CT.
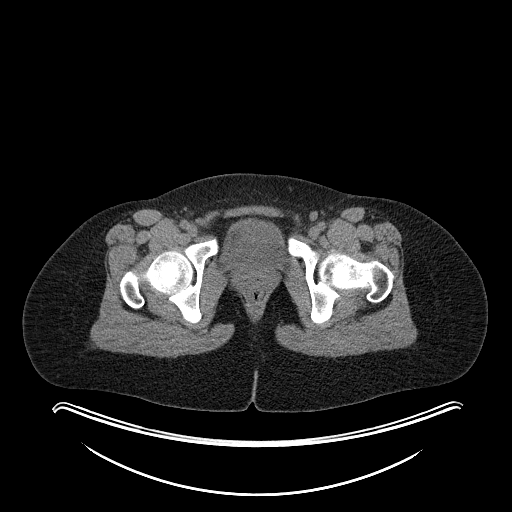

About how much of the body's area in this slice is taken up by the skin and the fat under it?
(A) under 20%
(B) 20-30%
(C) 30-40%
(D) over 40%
Answer: (D) over 40%
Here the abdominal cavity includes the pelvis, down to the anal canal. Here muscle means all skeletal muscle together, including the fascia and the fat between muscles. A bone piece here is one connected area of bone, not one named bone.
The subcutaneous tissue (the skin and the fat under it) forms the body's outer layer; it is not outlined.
Outlined structures:
bones 1: 289,236 316,250 320,260 332,250 345,253 360,262 378,260 394,276 390,292 383,300 373,303 367,300 365,288 341,289 329,319 319,324 313,322 310,317 311,296 305,279 305,263 300,257 292,256 288,252
bones 2: 213,237 217,238 219,248 204,263 199,291 202,316 198,322 185,320 167,294 152,288 145,281 140,283 145,301 141,307 133,308 124,301 119,283 127,271 132,270 140,275 163,251 182,252 192,243
abdominal cavity: 245,215 285,218 291,222 290,231 286,238 286,249 289,254 286,257 279,277 276,282 268,289 261,301 258,314 253,313 245,296 227,278 218,263 216,255 220,248 219,241 216,234 211,230 218,219 227,219
muscle: 250,204 270,205 284,210 292,210 300,214 305,226 308,223 320,220 352,206 371,207 379,210 398,229 402,237 404,253 403,282 411,318 418,332 415,342 405,348 372,351 335,358 310,356 290,350 276,341 274,332 278,324 299,323 296,305 282,282 272,292 266,303 263,316 256,323 252,323 245,315 245,310 241,303 227,286 218,300 213,322 232,323 235,330 226,343 206,353 183,355 176,358 159,358 141,354 112,352 98,348 93,349 90,346 89,332 92,324 98,317 106,282 103,238 108,227 116,219 144,205 151,205 173,212 190,220 210,210; inner edge: 245,215 289,220 288,235 316,250 320,260 332,250 360,262 378,260 394,276 390,292 373,303 367,300 365,288 341,289 329,319 315,323 310,317 305,263 289,254 255,314 213,255 204,263 199,291 202,316 198,322 185,320 167,294 145,281 140,283 144,304 129,306 119,289 127,271 140,275 163,251 182,252 192,243 215,237 211,230 218,219
torso: 237,172 287,175 346,193 394,199 442,225 475,264 487,295 487,331 473,365 441,385 306,412 265,412 253,403 242,411 183,409 113,392 64,388 41,377 24,345 22,311 33,280 57,247 105,208